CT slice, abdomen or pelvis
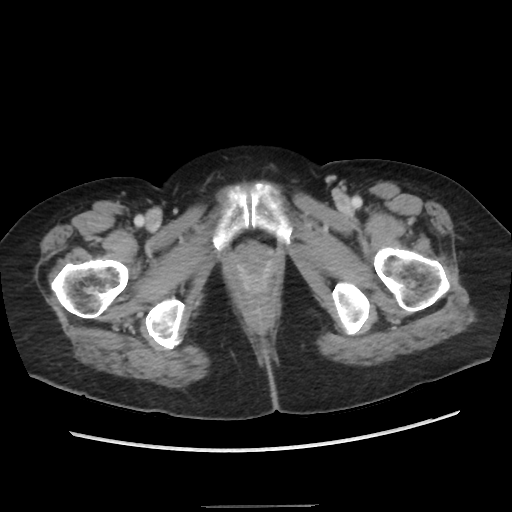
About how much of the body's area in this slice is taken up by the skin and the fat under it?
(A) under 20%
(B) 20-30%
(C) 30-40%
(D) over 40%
(D) over 40%
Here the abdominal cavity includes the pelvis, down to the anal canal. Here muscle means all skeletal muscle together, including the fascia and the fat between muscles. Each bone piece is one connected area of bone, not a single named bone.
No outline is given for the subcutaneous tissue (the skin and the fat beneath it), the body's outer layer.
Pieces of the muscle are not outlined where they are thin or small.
The torso is outlined by (255, 143) (288, 147) (320, 163) (406, 162) (444, 174) (470, 191) (511, 239) (507, 303) (489, 360) (354, 409) (307, 416) (275, 410) (230, 422) (119, 408) (31, 377) (12, 335) (2, 289) (0, 240) (10, 227) (37, 203) (78, 184) (134, 176) (159, 185) (196, 155). The abdominal cavity is outlined by (245, 230) (259, 230) (272, 236) (275, 238) (279, 245) (280, 249) (279, 271) (276, 279) (273, 317) (272, 318) (270, 330) (266, 334) (255, 333) (249, 328) (249, 326) (241, 310) (235, 290) (229, 276) (228, 260) (227, 259) (228, 256) (228, 246) (233, 238) (238, 233). The muscle is outlined by (256, 179) (303, 191) (335, 210) (380, 180) (407, 184) (437, 197) (454, 226) (459, 280) (474, 309) (472, 324) (435, 345) (377, 365) (348, 365) (327, 359) (319, 353) (317, 343) (334, 325) (288, 259) (276, 356) (267, 364) (258, 362) (232, 310) (219, 267) (211, 274) (204, 302) (189, 332) (211, 359) (207, 376) (181, 388) (170, 388) (80, 363) (36, 283) (39, 244) (50, 225) (85, 204) (103, 199) (117, 200) (141, 218) (166, 223) (221, 187); inner edges: (257, 182) (269, 183) (279, 191) (283, 211) (292, 227) (290, 243) (278, 243) (280, 249) (279, 271) (276, 279) (273, 317) (270, 330) (266, 334) (255, 333) (249, 328) (229, 276) (228, 248) (218, 251) (212, 242) (216, 225) (227, 199) (228, 188) (239, 185) (248, 192), then (383, 247) (393, 247) (394, 248) (408, 249) (415, 251) (426, 257) (437, 260) (442, 265) (445, 271) (447, 279) (449, 282) (449, 289) (433, 304) (421, 310) (410, 313) (403, 309) (399, 306) (393, 294) (380, 279) (375, 271) (373, 265) (373, 260) (375, 254) (378, 250), then (97, 258) (114, 259) (124, 264) (128, 269) (128, 281) (123, 290) (100, 315) (96, 318) (83, 318) (71, 313) (59, 302) (56, 295) (51, 289) (50, 284) (54, 277) (67, 263) (71, 262) (74, 264) (76, 264) (77, 263) (81, 263) (87, 261) (90, 259) (96, 259), then (173, 296) (183, 302) (185, 305) (182, 318) (181, 319) (181, 322) (180, 323) (180, 327) (179, 328) (179, 334) (181, 336) (182, 339) (181, 342) (173, 348) (171, 349) (166, 349) (157, 343) (149, 335) (145, 325) (145, 316) (149, 310) (157, 303) (164, 299) (170, 298), then (339, 281) (345, 281) (354, 284) (360, 290) (361, 290) (361, 291) (367, 297) (369, 301) (369, 313) (368, 314) (368, 317) (359, 331) (353, 335) (350, 335) (345, 333) (344, 330) (341, 327) (340, 325) (340, 321) (337, 314) (337, 311) (331, 295) (331, 293) (336, 283). The bones appear in 5 outlined pieces: piece 1: (383, 247) (393, 247) (394, 248) (408, 249) (415, 251) (426, 257) (437, 260) (442, 265) (445, 271) (447, 279) (449, 282) (449, 289) (433, 304) (421, 310) (410, 313) (403, 309) (399, 306) (393, 294) (380, 279) (375, 271) (373, 265) (373, 260) (375, 254) (378, 250); piece 2: (97, 258) (114, 259) (124, 264) (128, 269) (128, 281) (123, 290) (100, 315) (96, 318) (83, 318) (71, 313) (59, 302) (56, 295) (51, 289) (50, 284) (54, 277) (67, 263) (71, 262) (74, 264) (76, 264) (77, 263) (81, 263) (87, 261) (90, 259) (96, 259); piece 3: (257, 182) (269, 183) (279, 191) (283, 211) (292, 227) (290, 243) (285, 244) (283, 242) (278, 242) (275, 237) (263, 230) (249, 228) (238, 232) (229, 242) (227, 247) (218, 251) (213, 245) (212, 237) (227, 199) (228, 188) (239, 185) (248, 192); piece 4: (173, 296) (183, 302) (185, 305) (182, 318) (181, 319) (181, 322) (180, 323) (180, 327) (179, 328) (179, 334) (181, 336) (182, 339) (181, 342) (173, 348) (171, 349) (166, 349) (157, 343) (149, 335) (145, 325) (145, 316) (149, 310) (157, 303) (164, 299) (170, 298); piece 5: (339, 281) (345, 281) (354, 284) (360, 290) (361, 290) (361, 291) (367, 297) (369, 301) (369, 313) (368, 314) (368, 317) (359, 331) (353, 335) (350, 335) (345, 333) (344, 330) (341, 327) (340, 325) (340, 321) (337, 314) (337, 311) (331, 295) (331, 293) (336, 283).